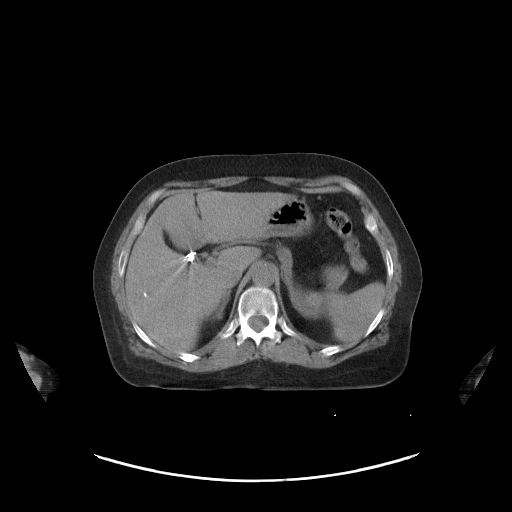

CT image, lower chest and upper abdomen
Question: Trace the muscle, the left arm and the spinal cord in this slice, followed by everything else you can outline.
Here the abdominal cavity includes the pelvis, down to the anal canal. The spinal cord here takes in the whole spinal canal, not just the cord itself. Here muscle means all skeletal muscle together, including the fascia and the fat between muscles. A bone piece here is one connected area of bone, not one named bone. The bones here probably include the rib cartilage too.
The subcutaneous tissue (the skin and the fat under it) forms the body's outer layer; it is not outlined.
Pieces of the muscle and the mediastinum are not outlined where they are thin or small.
Answer: {"muscle":[[[360,188],[371,200],[391,232],[396,242],[398,259],[402,269],[402,283],[396,294],[388,322],[389,338],[384,345],[325,368],[308,368],[268,359],[253,360],[210,372],[190,372],[136,356],[129,349],[123,322],[110,288],[112,256],[116,242],[132,213],[153,190],[155,190],[148,197],[145,207],[133,223],[131,233],[134,237],[129,250],[124,247],[117,258],[117,275],[120,278],[123,277],[125,298],[134,320],[131,325],[138,337],[147,345],[152,348],[158,346],[164,350],[177,352],[177,356],[181,360],[190,363],[200,358],[198,354],[193,352],[217,334],[220,339],[226,339],[235,333],[238,346],[249,338],[258,347],[264,338],[270,339],[275,344],[281,341],[282,333],[297,338],[298,332],[325,345],[319,350],[325,357],[340,352],[343,349],[341,346],[343,344],[352,342],[362,335],[368,336],[385,314],[385,309],[382,306],[386,297],[387,278],[391,280],[394,275],[394,262],[388,248],[384,249],[383,255],[375,237],[379,228],[374,215],[370,211],[364,214],[362,205],[355,196],[359,197],[362,194]],[[309,175],[340,175],[347,177],[357,185],[348,181],[342,181],[340,184],[348,191],[336,190],[327,192],[304,192],[261,178],[251,178],[220,188],[168,194],[158,199],[163,192],[162,188],[158,188],[171,180],[199,180],[226,176],[287,176],[303,178]],[[18,349],[21,352],[25,353],[28,355],[35,362],[39,370],[39,373],[40,374],[40,376],[41,377],[41,381],[42,382],[42,384],[38,388],[36,387],[34,382],[32,380],[32,378],[28,373],[28,371],[24,365],[24,362],[20,356]],[[490,357],[490,358],[489,359],[489,360],[488,361],[488,362],[485,367],[485,369],[484,370],[484,371],[483,372],[481,377],[479,379],[477,384],[475,386],[472,383],[472,381],[479,374],[479,373],[481,371],[483,366],[485,364],[486,361]]],"left_arm":[[[493,346],[493,350],[491,353],[490,358],[485,367],[485,369],[481,377],[479,379],[475,387],[469,394],[468,397],[466,399],[464,403],[461,404],[459,400],[459,387],[464,377],[473,367],[473,366],[484,355],[484,354],[489,349],[490,349],[491,347]]],"spinal_cord":[[[252,316],[262,316],[263,317],[264,317],[267,320],[267,323],[266,324],[266,325],[265,325],[261,329],[261,330],[260,330],[259,331],[256,331],[254,329],[253,329],[249,325],[249,324],[248,323],[248,320]]],"torso":[[[277,152],[316,152],[348,159],[374,175],[391,198],[413,241],[422,269],[422,287],[413,315],[410,354],[405,370],[383,386],[342,390],[228,388],[197,391],[138,387],[127,383],[109,360],[92,287],[99,244],[122,199],[146,173],[177,159],[208,154]]],"mediastinum":[[[261,263],[271,265],[274,270],[274,290],[275,291],[275,293],[273,292],[273,291],[269,287],[264,286],[263,285],[250,285],[249,286],[247,286],[246,288],[244,288],[244,286],[249,279],[250,275],[252,273],[252,270],[254,267]]],"right_arm":[[[16,342],[18,342],[27,347],[36,356],[48,363],[58,374],[60,379],[59,387],[56,391],[50,393],[47,396],[46,400],[44,399],[36,387],[32,380],[32,378],[28,373],[28,371],[24,365],[24,362],[22,360],[22,358],[18,351]]],"abdominal_cavity":[[[251,179],[304,193],[346,191],[358,200],[386,270],[383,303],[363,334],[347,343],[326,345],[296,331],[279,313],[275,270],[262,262],[251,270],[230,321],[192,352],[160,347],[134,319],[124,273],[132,242],[154,204],[168,195],[220,189]]],"bones":[{"outer":[[250,286],[267,287],[275,294],[278,304],[278,315],[297,333],[297,337],[282,332],[279,342],[273,343],[270,338],[264,337],[258,346],[249,337],[238,345],[235,332],[226,338],[220,338],[218,334],[223,332],[231,320],[237,316],[237,304],[240,294]],"hole":[[252,316],[262,316],[263,317],[264,317],[267,320],[267,323],[266,324],[266,325],[265,325],[261,329],[261,330],[260,330],[259,331],[256,331],[254,329],[253,329],[249,325],[249,324],[248,323],[248,320]]},[[158,189],[162,189],[162,192],[161,194],[157,198],[154,203],[148,208],[147,212],[146,213],[146,215],[145,216],[145,219],[139,231],[135,235],[133,234],[132,233],[132,229],[134,226],[134,223],[137,217],[146,207],[146,203],[151,194],[154,191]],[[368,212],[370,212],[373,215],[373,216],[374,217],[374,218],[376,221],[376,223],[377,224],[377,227],[378,228],[378,232],[376,234],[376,235],[375,236],[374,236],[367,229],[367,228],[365,225],[365,215],[366,214],[366,213],[367,213]],[[124,248],[125,249],[127,249],[128,250],[128,255],[127,256],[127,260],[126,261],[126,263],[125,264],[125,268],[124,269],[124,272],[123,273],[123,276],[122,277],[120,277],[118,275],[118,258],[119,257],[119,255],[120,254],[120,252]],[[133,321],[135,321],[136,322],[136,323],[147,335],[147,336],[156,345],[156,347],[152,347],[151,346],[150,346],[148,344],[147,344],[144,341],[143,341],[139,337],[139,336],[136,333],[136,332],[135,331],[135,330],[132,325],[132,322]],[[385,249],[388,249],[389,250],[390,252],[390,254],[391,255],[391,258],[393,262],[393,275],[391,279],[388,279],[387,277],[387,270],[386,269],[386,264],[385,263],[385,260],[384,259],[384,254],[385,253]],[[382,307],[384,309],[384,314],[382,316],[380,321],[375,327],[375,328],[368,335],[367,335],[366,336],[364,336],[364,333],[366,331],[367,328],[369,326],[369,325],[371,323],[371,322],[374,319],[375,316],[377,314],[377,313],[379,311],[379,310]],[[330,345],[340,345],[340,346],[342,349],[340,351],[339,351],[336,353],[334,353],[333,354],[332,354],[331,355],[329,355],[328,356],[325,356],[324,355],[323,355],[320,352],[320,350],[322,348],[323,348],[326,346],[329,346]],[[180,351],[182,351],[183,352],[187,352],[188,353],[194,353],[195,354],[198,355],[199,356],[199,358],[198,359],[196,359],[195,360],[194,360],[193,361],[191,361],[190,362],[185,361],[184,360],[181,359],[178,356],[178,352],[179,352]],[[342,182],[348,182],[349,183],[351,183],[352,184],[353,184],[354,185],[355,185],[356,186],[357,186],[359,188],[359,189],[361,192],[361,194],[359,196],[357,196],[356,195],[354,195],[352,193],[351,193],[347,189],[346,189],[341,184],[341,183]]]}